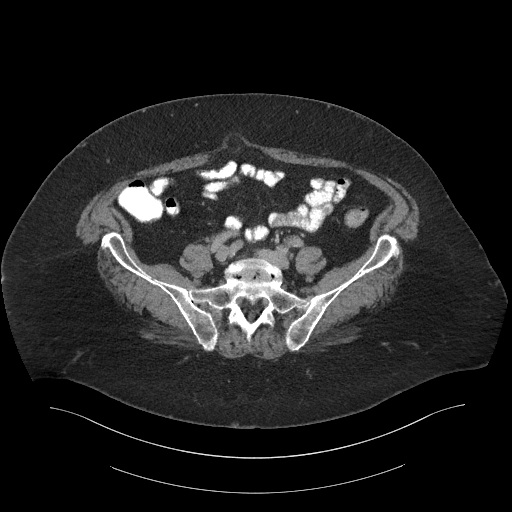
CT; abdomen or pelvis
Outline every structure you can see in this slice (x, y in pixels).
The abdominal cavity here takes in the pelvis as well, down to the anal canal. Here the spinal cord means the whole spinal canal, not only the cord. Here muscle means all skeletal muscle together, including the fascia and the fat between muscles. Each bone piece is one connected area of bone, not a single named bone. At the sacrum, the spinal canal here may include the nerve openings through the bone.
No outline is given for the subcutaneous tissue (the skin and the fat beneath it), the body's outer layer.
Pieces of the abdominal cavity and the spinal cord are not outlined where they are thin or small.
{"torso":[[[249,92],[296,95],[347,107],[381,123],[420,153],[476,235],[506,292],[503,319],[485,366],[435,377],[354,414],[283,428],[231,428],[195,424],[132,407],[68,379],[32,379],[8,320],[0,264],[15,223],[45,177],[87,135],[126,113],[177,98]]],"bones":[{"outer":[[110,231],[150,276],[187,289],[221,284],[229,264],[261,256],[280,269],[284,289],[311,297],[348,280],[379,235],[394,236],[400,252],[345,287],[297,351],[285,335],[301,310],[276,313],[250,340],[214,310],[217,341],[207,351],[166,292],[101,248]],"hole":[[248,303],[248,304],[251,306],[254,306],[257,304],[259,306],[259,307],[260,308],[260,311],[259,312],[257,317],[253,321],[252,321],[251,322],[250,321],[249,321],[247,319],[247,318],[246,317],[246,315],[245,314],[245,311],[244,310],[244,308]]}],"muscle":[[[231,134],[386,175],[415,199],[418,235],[403,245],[405,268],[391,300],[359,341],[326,354],[294,352],[308,342],[328,306],[345,288],[398,257],[401,249],[394,235],[379,234],[369,256],[337,286],[311,296],[294,292],[359,257],[370,244],[373,222],[392,203],[391,198],[355,172],[289,163],[252,147],[225,150],[207,163],[180,171],[134,179],[113,198],[129,223],[131,245],[143,263],[168,264],[192,280],[180,265],[180,256],[188,244],[206,246],[212,268],[199,279],[205,286],[187,288],[153,277],[131,256],[119,231],[107,231],[100,238],[100,248],[122,267],[170,297],[202,349],[141,338],[104,285],[96,269],[96,250],[75,235],[90,199],[122,175],[215,148]],[[214,311],[219,317],[226,311],[227,323],[236,325],[245,334],[247,341],[251,340],[261,325],[273,327],[276,322],[276,314],[302,312],[293,318],[286,328],[284,341],[289,351],[277,359],[266,360],[251,354],[239,358],[226,358],[214,351],[219,335]],[[305,246],[317,246],[319,247],[321,249],[322,254],[326,259],[326,263],[324,267],[321,270],[320,270],[312,278],[311,280],[307,280],[305,278],[305,276],[303,274],[299,273],[296,270],[296,268],[295,267],[295,256],[296,254],[302,248],[303,248]]],"abdominal_cavity":[{"outer":[[242,148],[289,164],[355,173],[385,193],[391,203],[372,222],[366,249],[293,292],[283,287],[281,269],[261,255],[232,261],[223,282],[202,285],[213,268],[202,243],[188,243],[178,259],[192,279],[168,263],[143,262],[115,196],[134,180],[202,166]],"hole":[[305,246],[317,246],[319,247],[321,249],[322,254],[326,259],[326,263],[324,267],[321,270],[320,270],[312,278],[311,280],[307,280],[305,278],[305,276],[303,274],[299,273],[296,270],[296,268],[295,267],[295,256],[296,254],[302,248],[303,248]]}],"spinal_cord":[[[248,303],[248,304],[251,306],[254,306],[257,304],[259,306],[259,307],[260,308],[260,311],[259,312],[257,317],[253,321],[252,321],[251,322],[250,321],[249,321],[247,319],[247,318],[246,317],[246,315],[245,314],[245,311],[244,310],[244,308]]]}